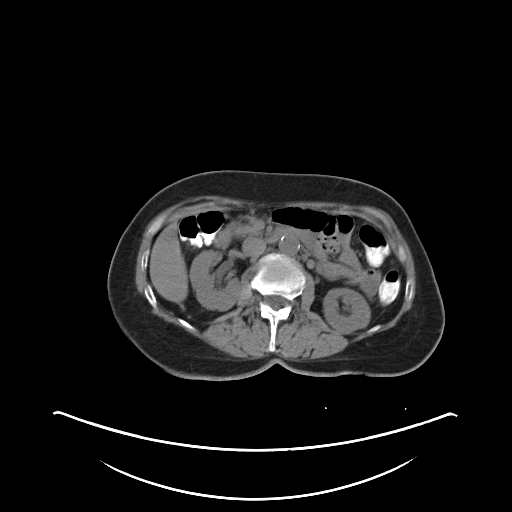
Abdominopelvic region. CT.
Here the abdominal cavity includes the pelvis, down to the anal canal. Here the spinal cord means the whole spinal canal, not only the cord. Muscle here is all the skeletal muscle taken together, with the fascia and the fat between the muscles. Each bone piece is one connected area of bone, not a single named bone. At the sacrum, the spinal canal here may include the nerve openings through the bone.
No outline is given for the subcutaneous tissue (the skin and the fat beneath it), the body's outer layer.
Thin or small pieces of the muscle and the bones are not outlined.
The spinal cord is outlined by 270 295; 275 295; 276 296; 280 296; 281 297; 284 298; 287 301; 287 302; 283 306; 280 307; 278 309; 277 309; 276 310; 275 309; 273 309; 267 303; 266 303; 264 301; 264 297; 265 297; 266 296; 269 296. The torso is outlined by 223 169; 337 175; 369 183; 391 195; 408 214; 427 252; 442 296; 445 324; 431 355; 416 369; 391 377; 309 376; 275 363; 253 376; 227 381; 176 377; 148 361; 126 339; 112 315; 107 275; 114 250; 133 216; 158 190; 192 174. The muscle appears in 2 outlined pieces: piece 1: 201 195; 220 195; 259 203; 289 201; 338 202; 367 205; 385 211; 393 219; 404 237; 413 258; 416 284; 412 306; 392 328; 352 343; 332 356; 306 361; 293 361; 273 353; 277 349; 276 332; 279 322; 289 317; 293 309; 293 301; 302 294; 305 287; 306 276; 303 270; 308 273; 314 281; 315 296; 310 307; 311 310; 317 313; 330 328; 343 332; 344 335; 349 338; 365 330; 367 330; 366 332; 369 335; 375 333; 381 327; 381 324; 394 317; 404 299; 409 302; 413 298; 414 280; 411 277; 406 279; 406 272; 402 264; 406 259; 405 250; 401 244; 399 244; 396 249; 392 238; 385 228; 347 210; 300 205; 271 205; 263 207; 244 205; 229 208; 223 205; 208 205; 196 208; 200 205; 194 204; 187 208; 192 210; 164 224; 167 216; 164 213; 159 215; 145 232; 147 236; 153 237; 149 248; 145 249; 140 257; 140 269; 143 272; 146 269; 148 282; 143 290; 145 299; 136 288; 135 266; 137 253; 146 226; 164 209; 185 199; piece 2: 249 268; 254 268; 254 271; 247 287; 260 295; 259 314; 269 324; 266 349; 270 352; 268 355; 256 359; 225 355; 150 311; 148 303; 156 309; 158 302; 184 328; 194 331; 195 326; 203 330; 212 320; 236 308; 236 291; 242 275. The bones appear in 7 outlined pieces: piece 1: 269 253; 279 253; 293 258; 299 263; 305 276; 304 287; 301 294; 292 301; 290 314; 286 319; 278 322; 275 332; 276 349; 273 352; 267 349; 270 324; 266 318; 261 316; 259 310; 259 301; 262 297; 255 289; 248 287; 259 260, around a hole outlined by 270 295; 275 295; 276 296; 280 296; 281 297; 284 298; 287 301; 287 302; 283 306; 280 307; 278 309; 277 309; 276 310; 275 309; 273 309; 267 303; 266 303; 264 301; 264 297; 265 297; 266 296; 269 296; piece 2: 164 214; 166 216; 165 217; 165 218; 164 219; 161 226; 159 228; 159 229; 155 233; 155 234; 152 236; 151 236; 150 235; 147 235; 146 234; 146 232; 149 228; 149 227; 156 220; 156 219; 159 216; 160 216; 161 215; 163 215; piece 3: 147 284; 149 284; 151 286; 151 288; 153 291; 153 293; 156 298; 156 300; 157 301; 157 307; 156 308; 154 308; 153 307; 152 307; 151 306; 151 305; 148 302; 148 301; 145 297; 145 295; 144 294; 144 290; 145 289; 145 287; piece 4: 408 278; 411 278; 413 280; 413 291; 412 292; 412 298; 409 301; 408 300; 406 300; 404 298; 404 294; 405 293; 405 285; 406 284; 406 280; piece 5: 147 249; 149 249; 149 253; 148 254; 148 259; 147 260; 147 267; 143 271; 141 269; 141 257; 142 256; 142 254; 144 252; 144 251; 145 250; 146 250; piece 6: 178 318; 181 318; 182 319; 183 319; 184 320; 185 320; 187 322; 188 322; 190 324; 191 324; 194 327; 194 330; 189 330; 187 328; 186 328; 185 327; 184 327; 181 324; 180 324; 180 323; 178 321; piece 7: 377 324; 380 324; 380 327; 375 332; 373 332; 372 333; 370 333; 369 334; 367 332; 367 331; 370 328; 371 328; 373 326; 374 326; 375 325; 376 325. The abdominal cavity is outlined by 208 206; 331 208; 385 229; 405 272; 399 309; 389 320; 349 337; 312 310; 315 281; 300 263; 279 252; 269 252; 258 260; 255 269; 249 267; 241 275; 235 308; 212 319; 203 329; 177 317; 159 303; 148 281; 150 247; 163 225.